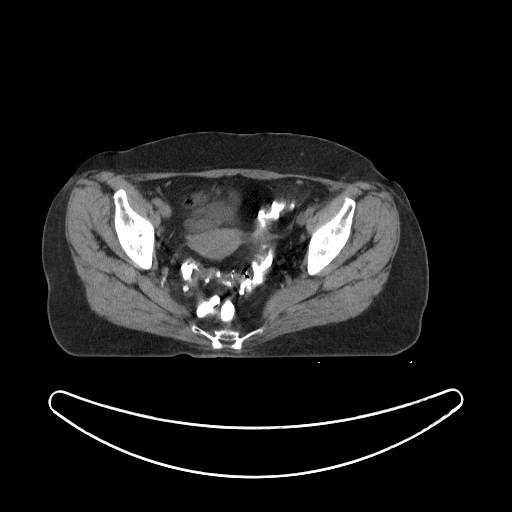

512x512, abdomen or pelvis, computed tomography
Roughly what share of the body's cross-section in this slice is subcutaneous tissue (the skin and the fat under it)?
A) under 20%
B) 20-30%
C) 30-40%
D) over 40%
Answer: C) 30-40%
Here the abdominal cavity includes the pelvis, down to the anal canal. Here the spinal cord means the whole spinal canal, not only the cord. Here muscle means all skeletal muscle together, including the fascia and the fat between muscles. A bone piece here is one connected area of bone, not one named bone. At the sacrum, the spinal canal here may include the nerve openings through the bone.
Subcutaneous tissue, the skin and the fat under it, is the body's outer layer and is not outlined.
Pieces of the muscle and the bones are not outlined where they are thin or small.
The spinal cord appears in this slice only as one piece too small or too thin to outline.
Outlines:
bones 1: (119, 188) (122, 188) (125, 190) (129, 205) (138, 214) (149, 220) (154, 228) (154, 236) (155, 237) (154, 251) (152, 254) (152, 264) (149, 269) (142, 269) (136, 265) (125, 253) (119, 243) (114, 227) (114, 210) (115, 209) (115, 206) (113, 201) (113, 194)
bones 2: (345, 197) (349, 197) (355, 201) (355, 209) (353, 214) (351, 229) (348, 239) (340, 250) (339, 253) (326, 266) (318, 273) (314, 275) (310, 275) (307, 271) (307, 249) (308, 248) (308, 243) (312, 234) (312, 232) (319, 226) (322, 225) (332, 218) (337, 213) (340, 209)
bones 3: (194, 324) (211, 333) (215, 329) (222, 328) (237, 330) (242, 334) (260, 327) (263, 328) (263, 331) (246, 338) (242, 342) (240, 349) (234, 349) (228, 346) (233, 341) (232, 340) (223, 340) (225, 345) (219, 349) (214, 349) (209, 338) (202, 334) (192, 332) (191, 326)
abdominal cavity: (237, 174) (260, 180) (303, 178) (322, 183) (335, 193) (305, 220) (309, 239) (300, 265) (301, 272) (291, 279) (289, 285) (269, 296) (261, 310) (259, 323) (243, 332) (228, 327) (215, 328) (202, 321) (162, 280) (155, 241) (161, 219) (136, 185) (175, 176) (217, 178)
muscle: (217, 168) (266, 169) (379, 183) (396, 204) (400, 241) (387, 281) (371, 304) (355, 317) (282, 334) (245, 351) (220, 349) (226, 343) (240, 350) (246, 339) (264, 331) (256, 326) (266, 302) (300, 275) (306, 254) (306, 271) (314, 276) (340, 253) (351, 234) (356, 201) (345, 196) (336, 213) (309, 237) (306, 220) (336, 194) (322, 182) (292, 176) (260, 179) (239, 173) (217, 177) (175, 175) (135, 183) (159, 216) (157, 233) (151, 221) (130, 205) (122, 187) (112, 194) (113, 227) (124, 253) (142, 270) (152, 267) (155, 242) (161, 280) (196, 318) (214, 328) (211, 332) (194, 323) (190, 326) (192, 333) (209, 339) (213, 349) (119, 326) (96, 314) (87, 302) (64, 232) (68, 198) (78, 178) (89, 170) (134, 174)
torso: (196, 131) (292, 132) (318, 136) (365, 155) (385, 176) (396, 181) (417, 217) (428, 258) (428, 299) (416, 342) (394, 355) (358, 357) (196, 358) (187, 354) (100, 357) (65, 352) (49, 327) (47, 284) (41, 263) (43, 225) (53, 197) (78, 166) (95, 153) (123, 150)